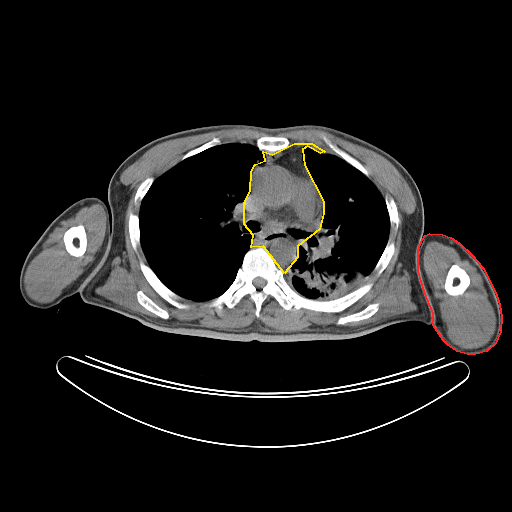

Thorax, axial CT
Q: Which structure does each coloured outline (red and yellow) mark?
A: red: left arm; yellow: mediastinum.
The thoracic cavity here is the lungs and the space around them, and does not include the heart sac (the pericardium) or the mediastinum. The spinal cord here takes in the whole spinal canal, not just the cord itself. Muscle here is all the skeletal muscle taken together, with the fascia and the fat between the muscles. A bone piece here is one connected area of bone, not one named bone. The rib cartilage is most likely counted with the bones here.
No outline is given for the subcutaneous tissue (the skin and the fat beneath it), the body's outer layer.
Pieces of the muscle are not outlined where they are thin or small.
{"left_arm":[[[429,233],[442,234],[450,237],[458,242],[471,254],[482,267],[495,292],[499,304],[501,317],[500,331],[495,343],[486,351],[475,354],[467,354],[457,351],[448,345],[443,340],[433,325],[433,313],[424,291],[418,271],[418,250],[422,239],[425,235]]],"mediastinum":[[[294,143],[311,143],[324,151],[320,153],[307,146],[302,149],[304,165],[323,201],[323,213],[319,229],[297,246],[297,257],[284,273],[263,246],[251,247],[253,235],[244,224],[244,202],[250,191],[251,171],[255,164],[265,160],[263,151],[272,154]]],"right_arm":[[[92,196],[100,198],[107,205],[109,212],[110,230],[109,231],[108,245],[104,260],[88,278],[77,293],[66,297],[58,304],[56,304],[49,308],[42,309],[29,305],[23,299],[19,289],[20,270],[29,250],[52,220],[62,211],[74,202],[80,199]]],"bones":[{"outer":[[257,247],[267,251],[283,272],[288,285],[309,299],[332,300],[368,282],[373,284],[358,300],[339,312],[306,308],[286,310],[269,295],[257,317],[255,303],[247,294],[232,308],[224,305],[219,313],[215,307],[204,304],[221,295],[231,285],[246,252]],"hole":[[256,277],[261,277],[262,278],[263,278],[266,281],[266,283],[265,284],[265,285],[264,286],[263,286],[261,288],[257,288],[254,285],[254,284],[253,283],[253,280]]},[[140,260],[142,260],[150,267],[160,281],[164,285],[179,296],[184,298],[185,300],[184,301],[185,302],[187,302],[190,305],[190,307],[186,309],[184,309],[183,308],[178,308],[165,300],[147,281],[140,268],[140,265],[139,264],[139,261]],[[79,224],[82,224],[85,229],[85,231],[86,232],[86,237],[87,238],[87,245],[86,246],[86,249],[82,256],[78,256],[77,257],[69,254],[69,253],[66,250],[65,245],[64,244],[64,241],[63,240],[63,236],[66,230],[72,226],[75,226]],[[452,264],[457,264],[460,267],[461,267],[467,273],[467,274],[469,276],[469,285],[462,294],[460,295],[457,295],[456,296],[453,296],[452,295],[448,294],[448,293],[445,290],[445,288],[444,287],[444,284],[445,283],[445,278],[446,277],[447,272]],[[265,135],[270,135],[271,136],[282,136],[283,137],[285,137],[288,139],[289,141],[289,145],[286,148],[284,149],[282,149],[281,150],[278,150],[272,153],[266,150],[261,150],[259,149],[259,148],[257,146],[256,144],[256,141],[259,137],[261,137]],[[320,133],[323,133],[331,141],[332,143],[333,143],[339,148],[340,148],[342,150],[349,154],[352,157],[355,158],[368,171],[369,173],[369,176],[368,177],[361,171],[360,171],[357,168],[351,165],[344,159],[333,153],[333,152],[321,138],[320,136]],[[371,303],[379,303],[379,306],[378,307],[377,311],[370,317],[366,318],[365,319],[363,319],[362,320],[359,320],[355,322],[348,322],[343,325],[340,325],[336,323],[339,317],[343,317],[344,316],[346,316],[347,315],[358,312],[362,310]],[[138,290],[141,290],[155,303],[156,303],[160,307],[161,307],[163,309],[166,310],[169,314],[169,317],[167,319],[164,319],[163,318],[161,318],[157,315],[154,314],[149,310],[146,309],[143,306],[142,306],[138,302],[138,301],[137,300],[136,293]],[[130,212],[132,212],[135,214],[137,214],[138,215],[138,219],[139,220],[139,240],[140,241],[140,245],[137,248],[137,251],[135,251],[133,249],[133,248],[132,247],[132,244],[131,243],[131,241],[130,240],[130,236],[129,235],[129,213]],[[389,238],[390,239],[391,239],[394,243],[394,252],[393,253],[388,264],[386,266],[386,267],[384,269],[384,270],[378,276],[377,276],[376,275],[376,272],[373,270],[374,269],[377,262],[379,260],[379,259],[387,244],[387,242],[388,241]],[[386,195],[388,195],[393,198],[396,204],[396,206],[397,207],[397,213],[398,214],[399,222],[398,223],[398,226],[396,230],[395,230],[395,229],[390,225],[390,219],[389,218],[389,214],[388,213],[387,206],[386,205],[385,199],[384,198]],[[150,176],[153,177],[154,178],[154,180],[152,182],[151,185],[149,187],[149,188],[147,190],[146,193],[142,198],[141,201],[137,204],[136,203],[135,203],[135,202],[134,201],[134,197],[135,196],[136,191],[137,190],[139,185],[147,177],[149,177]],[[214,137],[218,137],[220,139],[221,141],[221,143],[219,144],[217,144],[214,146],[209,147],[206,149],[204,149],[193,155],[191,155],[181,160],[181,158],[184,154],[185,154],[190,150],[192,149],[194,149],[206,143]]],"thoracic_cavity":[[[230,142],[254,144],[265,154],[264,160],[255,163],[250,171],[249,191],[243,202],[245,209],[243,224],[252,235],[251,246],[245,252],[233,281],[221,294],[208,300],[188,299],[164,284],[148,264],[140,240],[140,205],[153,182],[170,168],[204,150]],[[304,147],[320,154],[332,153],[366,176],[383,197],[389,219],[388,239],[372,271],[357,288],[332,299],[315,299],[300,294],[289,285],[284,274],[290,270],[290,265],[298,257],[298,246],[320,229],[324,213],[324,201],[321,193],[303,159]]],"muscle":[{"outer":[[233,128],[249,128],[269,134],[276,134],[280,132],[285,132],[296,129],[305,129],[306,128],[319,129],[328,132],[344,140],[367,148],[381,155],[388,160],[405,179],[415,197],[416,205],[413,212],[408,215],[406,214],[403,215],[402,241],[400,246],[400,251],[398,255],[398,261],[401,263],[402,267],[408,271],[411,276],[412,295],[415,298],[418,308],[414,311],[410,311],[396,316],[392,316],[376,322],[370,322],[355,326],[344,326],[339,328],[333,328],[320,331],[292,331],[291,332],[263,331],[260,330],[254,323],[239,330],[222,330],[221,329],[198,326],[194,324],[174,324],[168,322],[153,321],[145,318],[138,312],[126,309],[111,300],[97,294],[95,292],[95,288],[99,284],[101,284],[108,275],[111,268],[112,260],[118,255],[121,256],[123,251],[126,248],[125,247],[125,235],[124,234],[124,220],[125,219],[125,212],[129,199],[131,196],[132,190],[128,185],[125,185],[120,181],[120,176],[123,171],[128,166],[137,160],[147,150],[159,143],[185,136],[190,136],[212,131],[232,129]],"holes":[[[320,133],[355,158],[397,207],[398,226],[388,236],[394,252],[378,276],[373,270],[365,278],[364,284],[373,283],[365,294],[339,312],[286,310],[269,295],[257,317],[248,294],[219,313],[207,300],[185,298],[190,307],[178,308],[150,285],[139,264],[148,264],[142,247],[135,251],[129,235],[129,213],[139,214],[134,197],[147,177],[155,180],[214,137],[255,145],[259,137],[282,136],[290,145],[311,143],[332,153]],[[371,303],[379,303],[379,306],[378,307],[377,311],[370,317],[366,318],[365,319],[363,319],[362,320],[359,320],[355,322],[348,322],[343,325],[340,325],[336,323],[339,317],[343,317],[344,316],[346,316],[347,315],[358,312],[362,310]],[[138,290],[141,290],[155,303],[156,303],[160,307],[161,307],[163,309],[166,310],[169,314],[169,317],[167,319],[164,319],[163,318],[161,318],[157,315],[154,314],[149,310],[146,309],[143,306],[142,306],[138,302],[138,301],[137,300],[136,293]]]},{"outer":[[430,241],[437,241],[458,250],[475,267],[477,272],[481,276],[483,285],[487,292],[488,299],[494,311],[495,329],[489,341],[480,347],[462,348],[452,342],[446,333],[446,328],[441,320],[436,300],[428,286],[425,269],[422,263],[423,251],[426,244]],"hole":[[452,264],[457,264],[460,267],[461,267],[467,273],[467,274],[469,276],[469,285],[462,294],[460,295],[457,295],[456,296],[453,296],[452,295],[448,294],[448,293],[445,290],[445,288],[444,287],[444,284],[445,283],[445,278],[446,277],[447,272]]},{"outer":[[92,204],[100,204],[103,207],[107,217],[106,232],[102,247],[91,270],[73,288],[62,296],[45,303],[33,300],[27,294],[24,283],[26,270],[30,262],[42,250],[43,244],[49,234],[60,224],[62,220],[65,220],[73,216],[81,208],[90,206]],"hole":[[79,224],[82,224],[85,229],[85,231],[86,232],[86,237],[87,238],[87,245],[86,246],[86,249],[82,256],[78,256],[77,257],[69,254],[69,253],[66,250],[65,245],[64,244],[64,241],[63,240],[63,236],[66,230],[72,226],[75,226]]}],"spinal_cord":[[[256,277],[261,277],[262,278],[263,278],[266,281],[266,283],[265,284],[265,285],[264,286],[263,286],[261,288],[257,288],[254,285],[254,284],[253,283],[253,280]]],"torso":[[[228,123],[263,127],[325,125],[359,137],[399,161],[415,181],[423,202],[424,235],[417,250],[417,271],[432,313],[432,324],[399,322],[349,339],[232,341],[156,330],[84,302],[78,292],[107,253],[111,230],[108,185],[118,166],[135,150],[158,137]]]}